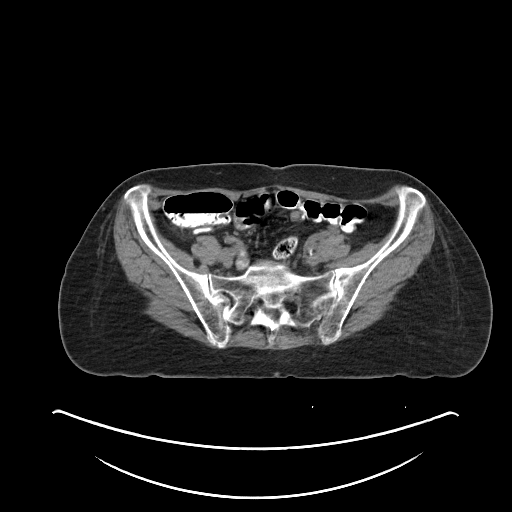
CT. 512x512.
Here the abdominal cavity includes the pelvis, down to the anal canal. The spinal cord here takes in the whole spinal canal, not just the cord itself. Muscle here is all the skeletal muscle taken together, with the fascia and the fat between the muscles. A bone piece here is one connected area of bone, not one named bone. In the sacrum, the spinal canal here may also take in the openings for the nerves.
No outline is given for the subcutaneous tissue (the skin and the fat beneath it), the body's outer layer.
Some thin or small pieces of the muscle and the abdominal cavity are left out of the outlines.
The muscle appears in 5 outlined pieces: piece 1: 122,195 122,199 130,211 138,235 143,242 167,265 172,272 202,325 207,340 212,346 217,348 209,347 191,337 185,336 152,319 142,312 146,306 146,298 128,282 115,254 112,235 112,224 115,211 114,206; piece 2: 424,194 431,203 431,208 434,213 437,226 430,252 419,265 416,273 406,280 406,284 396,294 395,300 391,303 391,308 381,319 353,335 337,341 342,333 343,324 370,273 411,233 420,213 427,205 427,199; piece 3: 139,183 149,183 161,188 177,188 183,190 198,188 246,190 278,183 351,199 372,198 384,193 395,184 403,184 395,188 398,200 396,217 396,212 392,207 385,206 379,203 322,200 288,189 281,185 268,186 255,193 239,196 236,198 226,193 214,190 161,194 157,197 156,209 152,210 151,212 155,219 155,224 158,230 176,247 190,254 192,244 196,241 196,237 200,235 211,235 215,237 219,243 221,248 217,259 214,263 207,266 209,272 202,273 187,269 182,266 175,260 163,245 158,236 149,210 148,197 152,189 151,186 148,183; piece 4: 249,315 249,325 259,325 271,332 267,335 267,342 270,345 275,338 273,332 282,326 309,328 316,321 319,322 317,332 324,345 303,345 282,350 272,346 264,350 248,347 224,348 230,339 231,325 242,325; piece 5: 392,227 387,239 368,259 351,266 339,266 330,269 328,267 330,262 320,259 320,256 317,253 316,246 314,243 314,235 322,231 327,231 340,236 343,241 349,245 349,251 352,252 362,248 367,243 378,242. The spinal cord is outlined by 265,309 274,309 275,310 276,310 279,313 278,314 278,316 277,317 277,318 276,319 274,319 273,318 272,318 268,314 267,314 265,312. The abdominal cavity is outlined by 281,186 317,200 395,212 383,237 352,251 340,235 314,234 319,259 329,262 329,270 315,275 270,259 241,274 214,274 208,266 222,248 217,238 197,235 189,253 163,235 152,212 165,194 214,191 236,199. The torso is outlined by 219,162 252,162 276,167 309,163 390,168 409,173 425,183 464,229 484,266 493,317 488,345 480,362 462,376 427,378 403,375 375,378 101,376 74,365 60,338 58,294 67,260 98,207 119,183 140,171. The bones are outlined by 136,184 150,186 150,217 174,260 221,276 260,260 302,276 361,264 392,231 397,187 416,188 426,205 365,279 336,341 322,343 316,320 282,325 270,344 272,332 249,324 249,314 218,348 139,235 123,199, around a hole outlined by 265,309 274,309 275,310 276,310 279,313 278,314 278,316 277,317 277,318 276,319 274,319 273,318 272,318 268,314 267,314 265,312.